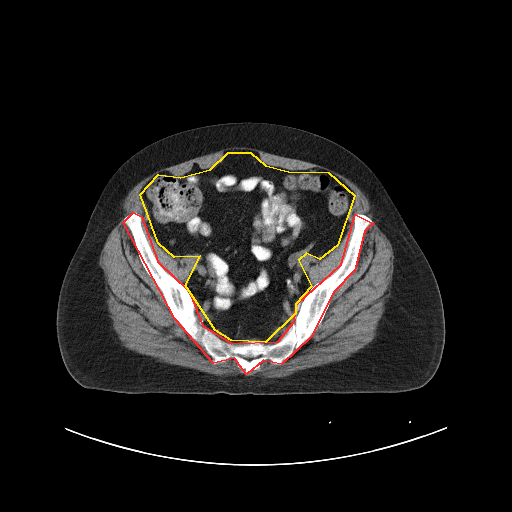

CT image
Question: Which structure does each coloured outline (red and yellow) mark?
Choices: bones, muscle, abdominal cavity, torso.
Answer: red: bones; yellow: abdominal cavity.
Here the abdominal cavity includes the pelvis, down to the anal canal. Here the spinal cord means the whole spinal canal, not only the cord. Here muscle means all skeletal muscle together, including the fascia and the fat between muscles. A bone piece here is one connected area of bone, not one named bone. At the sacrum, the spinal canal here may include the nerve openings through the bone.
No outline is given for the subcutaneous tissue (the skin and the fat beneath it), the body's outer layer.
Outlines (x, y in pixels):
bones: 133,212 141,216 157,261 188,290 202,325 231,343 278,341 294,321 296,304 341,264 355,214 373,223 364,231 354,270 333,292 310,337 281,364 263,360 246,374 234,358 213,363 175,319 123,222
abdominal cavity: 228,152 250,152 265,165 288,171 328,172 354,195 337,245 319,259 306,253 298,260 311,286 295,304 295,313 265,342 231,340 215,330 185,285 200,256 174,257 158,243 140,194 158,174 180,177 210,169
torso: 230,122 274,123 323,136 356,155 380,180 425,255 436,278 443,304 445,342 442,357 435,374 425,385 401,392 284,395 134,394 86,388 69,374 56,338 58,296 67,266 105,185 126,160 147,145 180,131
muscle 1: 234,147 244,147 245,148 251,148 252,149 261,150 270,154 282,156 287,158 298,159 327,167 348,178 353,182 367,197 370,203 371,210 376,220 376,223 378,227 381,231 385,234 391,243 393,250 393,254 394,255 394,259 393,260 393,273 392,274 392,280 391,281 391,287 390,288 389,296 378,327 377,334 368,344 358,351 354,352 349,357 343,360 334,361 319,366 302,369 296,371 292,374 283,377 265,378 257,374 254,375 237,374 236,375 227,375 225,376 224,375 211,374 184,366 180,366 175,364 170,364 169,363 158,361 153,357 140,354 133,350 126,348 122,345 119,340 118,336 112,327 110,317 107,310 106,301 105,300 103,279 99,268 98,260 101,250 109,233 116,225 122,215 122,202 123,200 129,191 137,183 145,177 161,168 169,167 184,162 187,160 193,159 196,157 203,156 224,149 233,148, around a hole outlined by 228,152 322,170 353,192 341,240 297,262 312,286 341,264 355,214 373,222 310,337 248,374 234,358 213,363 175,319 123,222 138,213 157,261 187,283 200,256 174,257 158,243 140,193 158,174 210,169
muscle 2: 290,318 292,318 293,319 293,321 292,321 287,326 287,328 285,330 285,332 279,338 279,339 275,342 273,342 272,343 266,343 266,342 268,342 272,339 276,330 279,327 280,327 286,321 286,320 288,320
muscle 3: 196,308 205,317 205,318 208,321 214,330 218,334 221,335 228,340 239,342 231,342 230,341 226,341 218,336 212,330 204,326 203,325 204,321 201,318 199,319 196,315 196,312 195,311 196,310
spinal cord: 244,357 245,357 246,357 247,357 248,357 249,357 250,357 251,357 252,357 253,357 254,358 253,358 252,359 251,359 250,360 249,360 248,360 247,360 246,359 245,359 244,358